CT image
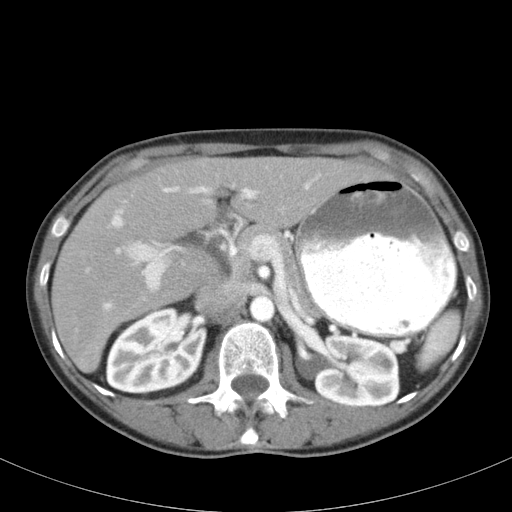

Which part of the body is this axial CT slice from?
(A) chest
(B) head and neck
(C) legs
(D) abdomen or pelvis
Answer: (D) abdomen or pelvis
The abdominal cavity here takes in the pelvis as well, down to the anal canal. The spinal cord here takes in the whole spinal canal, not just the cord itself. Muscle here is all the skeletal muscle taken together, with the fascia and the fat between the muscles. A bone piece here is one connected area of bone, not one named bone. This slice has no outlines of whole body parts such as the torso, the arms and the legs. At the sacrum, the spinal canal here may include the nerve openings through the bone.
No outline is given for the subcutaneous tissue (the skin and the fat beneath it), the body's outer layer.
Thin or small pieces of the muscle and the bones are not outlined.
abdominal cavity: [[257,149],[343,155],[398,175],[429,198],[456,249],[467,298],[457,344],[426,385],[385,406],[340,404],[302,385],[289,345],[277,346],[255,321],[228,328],[208,352],[200,379],[168,396],[115,393],[67,357],[47,284],[80,210],[109,184],[163,163]]
bones 1: [[244,322],[255,322],[268,329],[277,347],[280,384],[313,400],[312,403],[288,400],[285,404],[287,415],[282,418],[276,412],[264,413],[258,408],[250,413],[243,407],[218,416],[211,403],[189,403],[186,400],[210,393],[218,387],[220,343],[228,329]]; inner edge: [[244,374],[253,374],[254,375],[259,375],[265,378],[268,382],[268,386],[262,392],[257,395],[255,397],[254,400],[251,402],[248,402],[246,401],[244,399],[244,398],[238,392],[233,389],[232,387],[232,381],[236,377],[240,376],[241,375],[243,375]]
bones 2: [[409,166],[414,166],[415,167],[417,167],[419,169],[420,169],[429,178],[429,179],[433,184],[434,186],[434,188],[435,189],[435,193],[434,195],[431,198],[430,198],[427,195],[425,188],[419,182],[415,180],[414,178],[409,173],[408,171],[408,168]]
bones 3: [[62,214],[64,215],[68,219],[69,219],[71,221],[71,222],[67,230],[63,235],[61,236],[59,236],[58,237],[54,237],[51,234],[50,232],[51,231],[51,228],[52,227],[52,225],[55,221],[55,220],[60,215]]
bones 4: [[457,230],[461,230],[465,234],[465,235],[467,237],[467,238],[469,241],[469,249],[468,250],[468,251],[462,251],[461,250],[459,250],[458,249],[457,249],[456,248],[456,247],[454,245],[454,243],[452,240],[452,236],[453,235],[453,234]]
bones 5: [[249,426],[251,426],[255,430],[255,431],[257,433],[257,435],[258,436],[258,440],[256,442],[256,443],[255,444],[243,444],[242,443],[241,443],[239,441],[239,439],[240,438],[240,437],[241,436],[241,435],[246,430],[246,429]]
spinal cord: [[244,374],[253,374],[254,375],[259,375],[265,378],[268,382],[268,386],[262,392],[257,395],[255,397],[254,400],[251,402],[248,402],[246,401],[244,399],[244,398],[238,392],[233,389],[232,387],[232,381],[236,377],[240,376],[241,375],[243,375]]
muscle: [[358,139],[373,139],[385,143],[389,146],[394,147],[396,149],[401,150],[413,156],[429,168],[441,183],[458,215],[470,233],[474,243],[476,260],[482,284],[483,307],[482,308],[481,319],[479,320],[477,324],[474,335],[469,344],[465,356],[457,369],[449,380],[426,402],[407,416],[394,423],[390,424],[388,426],[383,427],[379,430],[364,436],[361,436],[354,439],[347,439],[344,441],[334,443],[327,446],[318,446],[310,448],[293,448],[292,449],[268,448],[267,447],[244,447],[243,448],[232,448],[222,450],[203,450],[202,449],[191,449],[177,446],[170,443],[165,443],[153,439],[138,432],[119,421],[100,407],[83,393],[66,376],[52,355],[47,342],[46,336],[44,334],[43,329],[41,326],[38,311],[33,297],[34,274],[39,259],[44,237],[54,216],[73,197],[98,169],[112,158],[120,154],[139,150],[142,148],[150,146],[162,145],[163,144],[177,144],[182,142],[183,143],[225,142],[226,143],[241,143],[242,144],[259,145],[260,144],[285,144],[286,143],[333,143],[334,142],[343,142]], around holes outlined by [[257,149],[343,155],[424,194],[408,171],[417,167],[434,186],[429,199],[450,235],[467,237],[457,259],[477,293],[465,303],[464,347],[409,400],[363,407],[322,397],[298,381],[281,341],[280,384],[313,402],[288,400],[284,418],[243,407],[218,416],[211,403],[186,400],[218,387],[218,345],[197,382],[156,398],[105,395],[55,349],[39,274],[62,239],[50,232],[60,215],[72,221],[109,184],[163,163]] and by [[249,426],[251,426],[255,430],[255,431],[257,433],[257,435],[258,436],[258,440],[256,442],[256,443],[255,444],[243,444],[242,443],[241,443],[239,441],[239,439],[240,438],[240,437],[241,436],[241,435],[246,430],[246,429]] and by [[378,152],[384,152],[385,153],[386,153],[387,154],[387,155],[388,156],[388,161],[385,161],[384,160],[383,160],[382,159],[380,159],[379,158],[378,158],[376,156],[375,156],[374,155],[375,154],[376,154]] and by [[134,158],[141,158],[142,159],[143,159],[143,160],[142,161],[140,161],[138,163],[136,163],[135,164],[134,164],[133,165],[130,165],[129,164],[129,162],[132,159],[133,159]]